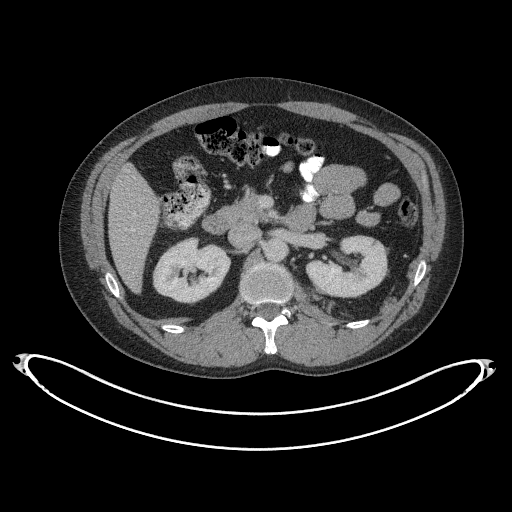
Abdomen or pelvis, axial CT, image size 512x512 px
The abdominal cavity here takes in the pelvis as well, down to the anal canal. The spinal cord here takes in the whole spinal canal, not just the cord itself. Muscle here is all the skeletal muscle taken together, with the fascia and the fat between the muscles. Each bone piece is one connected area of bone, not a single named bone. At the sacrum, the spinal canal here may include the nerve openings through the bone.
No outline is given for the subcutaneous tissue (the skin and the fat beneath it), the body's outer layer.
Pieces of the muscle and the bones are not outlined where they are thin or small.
{"torso":[[[210,379],[266,370],[331,375],[392,355],[427,329],[456,281],[464,241],[459,187],[433,140],[398,114],[357,95],[290,78],[242,76],[195,86],[152,103],[118,123],[89,151],[67,185],[58,221],[59,260],[70,296],[93,329],[118,351],[164,370]]],"spinal_cord":[[[268,320],[270,320],[279,313],[279,312],[280,311],[280,306],[279,305],[278,305],[277,304],[275,304],[274,303],[263,303],[262,304],[260,304],[257,306],[257,307],[256,308],[256,314],[257,315],[259,315],[260,316],[261,316],[262,317],[263,317]]],"abdominal_cavity":[[[187,323],[228,305],[241,273],[262,260],[285,266],[313,302],[335,317],[371,317],[392,305],[411,278],[422,233],[420,196],[399,159],[378,140],[343,124],[267,106],[184,125],[143,144],[111,178],[104,211],[106,254],[135,310],[148,317],[191,317]]],"bones":[{"outer":[[267,354],[273,354],[277,351],[273,338],[275,331],[279,325],[286,324],[291,315],[285,304],[292,296],[293,281],[290,273],[285,267],[262,261],[254,264],[242,273],[239,283],[239,292],[243,300],[251,306],[251,324],[261,328],[264,333],[264,351]],"hole":[[268,320],[270,320],[279,313],[279,312],[280,311],[280,306],[279,305],[278,305],[277,304],[275,304],[274,303],[263,303],[262,304],[260,304],[257,306],[257,307],[256,308],[256,314],[257,315],[259,315],[260,316],[261,316],[262,317],[263,317]]},[[119,299],[121,298],[121,296],[119,292],[119,289],[118,288],[118,283],[117,282],[117,280],[115,276],[111,272],[109,271],[107,271],[105,273],[105,280],[106,281],[107,286],[110,292],[114,296],[115,296]],[[414,286],[416,286],[420,282],[420,281],[423,278],[423,277],[425,274],[425,272],[426,271],[426,262],[424,259],[421,259],[418,262],[418,263],[417,264],[417,266],[416,267],[416,270],[415,271],[415,274],[414,275],[414,280],[413,281],[413,285]],[[172,333],[180,333],[181,332],[182,332],[185,329],[185,328],[183,326],[181,326],[180,325],[177,325],[176,324],[172,324],[171,323],[164,323],[161,325],[161,328],[162,329],[163,329],[164,330],[165,330],[168,332],[171,332]],[[349,328],[358,328],[359,327],[361,327],[362,326],[364,326],[365,325],[366,325],[370,321],[370,320],[369,319],[369,318],[366,318],[365,319],[362,319],[361,320],[356,320],[355,321],[350,321],[345,324],[345,326],[346,327],[348,327]]],"muscle":[{"outer":[[206,367],[241,366],[262,357],[266,354],[264,336],[261,329],[250,324],[250,306],[238,292],[228,306],[198,324],[187,324],[191,318],[148,318],[127,303],[105,254],[103,211],[110,178],[138,147],[184,124],[267,105],[343,123],[378,139],[400,159],[421,196],[423,233],[418,261],[426,260],[426,274],[414,287],[416,264],[403,295],[358,329],[346,328],[347,320],[326,314],[293,278],[293,296],[286,304],[292,315],[276,331],[278,351],[268,355],[307,366],[334,365],[366,352],[420,309],[441,250],[446,219],[443,189],[430,154],[408,137],[376,127],[328,103],[313,101],[199,105],[168,115],[105,152],[94,165],[82,196],[80,232],[86,261],[120,324],[163,353]],"holes":[[[119,299],[121,298],[121,296],[119,292],[119,289],[118,288],[118,283],[117,282],[117,280],[115,276],[111,272],[109,271],[107,271],[105,273],[105,280],[106,281],[107,286],[110,292],[114,296],[115,296]],[[172,333],[180,333],[181,332],[182,332],[185,329],[185,328],[183,326],[181,326],[180,325],[177,325],[176,324],[172,324],[171,323],[164,323],[161,325],[161,328],[162,329],[163,329],[164,330],[165,330],[168,332],[171,332]],[[424,189],[427,189],[427,179],[426,178],[426,175],[424,173],[423,173],[422,174],[422,182],[423,183],[423,185],[424,186]]]}]}